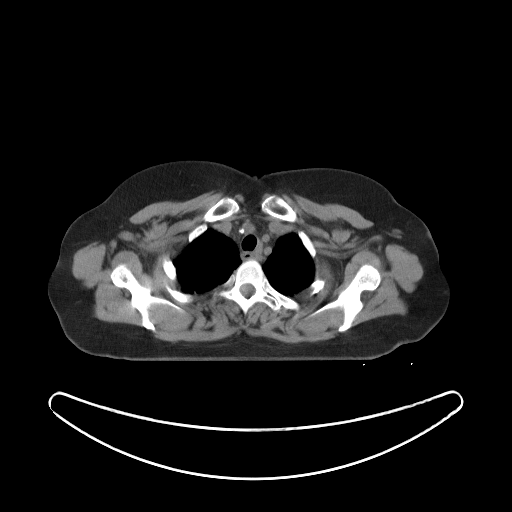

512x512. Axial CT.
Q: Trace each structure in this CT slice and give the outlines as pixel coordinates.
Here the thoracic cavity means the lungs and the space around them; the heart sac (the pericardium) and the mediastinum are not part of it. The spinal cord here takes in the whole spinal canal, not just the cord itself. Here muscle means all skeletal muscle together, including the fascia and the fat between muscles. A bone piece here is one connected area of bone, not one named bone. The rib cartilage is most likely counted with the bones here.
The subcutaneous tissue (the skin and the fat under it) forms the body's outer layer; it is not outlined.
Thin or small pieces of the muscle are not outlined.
A: Outlined structures:
muscle: (211, 190) (247, 199) (295, 193) (358, 211) (392, 243) (418, 256) (423, 275) (407, 296) (409, 311) (351, 327) (364, 305) (361, 294) (382, 280) (380, 270) (367, 262) (334, 299) (309, 315) (340, 309) (341, 333) (333, 338) (287, 343) (243, 331) (212, 341) (171, 342) (153, 336) (150, 308) (184, 309) (153, 295) (151, 282) (141, 283) (122, 262) (109, 278) (130, 293) (141, 326) (92, 316) (93, 297) (71, 271) (74, 253) (150, 203), around holes outlined by (224, 196) (239, 205) (239, 211) (225, 221) (253, 216) (281, 223) (297, 234) (302, 230) (310, 239) (315, 249) (314, 275) (325, 283) (312, 295) (307, 287) (296, 293) (292, 298) (300, 305) (298, 310) (282, 306) (275, 311) (256, 302) (244, 313) (231, 299) (214, 299) (212, 289) (193, 293) (192, 301) (187, 303) (176, 301) (165, 289) (164, 283) (177, 290) (181, 286) (177, 279) (173, 281) (166, 275) (163, 256) (172, 261) (188, 243) (189, 232) and by (272, 194) (276, 194) (280, 196) (286, 202) (287, 202) (295, 211) (296, 213) (296, 215) (297, 216) (297, 219) (294, 222) (289, 222) (288, 221) (284, 221) (283, 220) (281, 220) (280, 219) (275, 218) (266, 213) (264, 213) (261, 210) (261, 202) (266, 197)
left arm: (426, 225) (431, 233) (431, 235) (438, 250) (440, 268) (446, 277) (450, 287) (450, 297) (449, 298) (448, 307) (443, 317) (440, 320) (435, 314) (429, 303) (428, 298) (425, 293) (422, 284) (422, 281) (419, 272) (418, 254) (419, 253) (420, 245) (423, 237) (424, 228)
bones 1: (248, 259) (255, 259) (259, 262) (269, 283) (280, 293) (298, 302) (300, 308) (298, 310) (293, 310) (286, 309) (282, 306) (278, 311) (275, 311) (263, 302) (256, 302) (246, 313) (244, 313) (238, 304) (231, 299) (214, 299) (212, 294) (213, 289) (222, 284) (242, 262); inner edge: (244, 284) (250, 284) (254, 288) (254, 292) (251, 295) (250, 295) (249, 296) (248, 296) (247, 297) (246, 296) (245, 296) (240, 291) (240, 287) (242, 285) (243, 285)
bones 2: (367, 263) (379, 270) (381, 280) (374, 290) (364, 290) (360, 294) (360, 299) (363, 305) (362, 308) (355, 316) (352, 325) (348, 329) (342, 332) (338, 331) (338, 327) (343, 321) (343, 311) (338, 307) (330, 308) (310, 316) (311, 313) (334, 300) (352, 280) (359, 268)
bones 3: (122, 263) (127, 266) (141, 284) (150, 282) (152, 286) (150, 293) (153, 296) (171, 301) (184, 312) (176, 311) (164, 304) (154, 304) (149, 308) (149, 318) (155, 330) (151, 331) (143, 327) (141, 314) (130, 305) (131, 293) (126, 288) (114, 285) (110, 278) (111, 271)
bones 4: (224, 196) (228, 196) (234, 199) (239, 205) (239, 211) (237, 213) (233, 214) (224, 219) (217, 220) (213, 222) (209, 222) (207, 224) (208, 227) (200, 235) (196, 237) (192, 241) (188, 242) (188, 234) (189, 232) (197, 225) (203, 222) (203, 219) (202, 218) (206, 211)
bones 5: (272, 194) (276, 194) (280, 196) (286, 202) (287, 202) (295, 211) (296, 213) (296, 215) (297, 216) (297, 219) (294, 222) (289, 222) (288, 221) (284, 221) (283, 220) (281, 220) (280, 219) (275, 218) (266, 213) (264, 213) (261, 210) (261, 202) (266, 197)
bones 6: (164, 283) (166, 283) (171, 288) (173, 289) (180, 290) (184, 293) (188, 293) (189, 294) (192, 294) (193, 295) (193, 299) (192, 301) (190, 302) (188, 302) (187, 303) (181, 303) (180, 302) (178, 302) (176, 301) (165, 289) (165, 287) (164, 286)
bones 7: (164, 255) (167, 255) (169, 257) (169, 258) (172, 261) (172, 262) (173, 263) (173, 264) (175, 267) (175, 269) (176, 270) (176, 280) (175, 280) (174, 281) (171, 280) (166, 275) (166, 274) (165, 273) (165, 272) (163, 269) (163, 267) (162, 266) (162, 258)
bones 8: (299, 230) (302, 230) (308, 236) (308, 237) (310, 239) (311, 242) (313, 244) (313, 246) (315, 249) (315, 256) (314, 257) (314, 258) (313, 258) (310, 255) (310, 254) (308, 252) (308, 251) (303, 245) (303, 243) (302, 242) (300, 237) (298, 235) (298, 231)
bones 9: (315, 276) (316, 276) (321, 279) (323, 279) (325, 281) (325, 283) (324, 284) (324, 286) (322, 289) (321, 289) (318, 292) (317, 292) (312, 295) (310, 295) (309, 294) (309, 293) (310, 292) (310, 290) (308, 288) (308, 287) (310, 285) (310, 284) (313, 281)
thoracic cavity 1: (209, 227) (212, 228) (217, 232) (219, 232) (230, 238) (235, 243) (238, 249) (238, 253) (241, 262) (222, 283) (212, 289) (201, 293) (184, 292) (181, 290) (181, 286) (177, 279) (177, 270) (173, 262) (173, 260) (188, 243) (192, 242) (196, 238) (200, 236)
thoracic cavity 2: (290, 232) (294, 232) (297, 234) (302, 243) (302, 245) (313, 259) (313, 263) (314, 264) (314, 277) (312, 281) (305, 289) (303, 289) (296, 293) (293, 297) (286, 295) (277, 290) (270, 283) (262, 267) (262, 264) (266, 261) (268, 256) (272, 252) (277, 240) (281, 236)
torso: (184, 159) (217, 161) (255, 175) (304, 167) (335, 167) (375, 179) (425, 223) (417, 265) (424, 293) (439, 322) (420, 340) (402, 344) (369, 360) (132, 361) (92, 355) (78, 349) (60, 325) (75, 308) (84, 275) (83, 240) (76, 218) (102, 202) (133, 173) (158, 163)
spinal cord: (244, 284) (250, 284) (254, 288) (254, 292) (251, 295) (250, 295) (249, 296) (248, 296) (247, 297) (246, 296) (245, 296) (240, 291) (240, 287) (242, 285) (243, 285)
right arm: (75, 219) (77, 223) (78, 231) (82, 240) (83, 275) (82, 276) (82, 280) (81, 281) (78, 296) (74, 308) (67, 318) (60, 324) (58, 318) (49, 301) (47, 295) (46, 284) (47, 283) (48, 276) (56, 264) (56, 262) (58, 259) (60, 244) (62, 238) (69, 225)
mediastinum: (250, 216) (280, 224) (281, 223) (288, 230) (291, 231) (281, 235) (276, 240) (271, 252) (267, 256) (265, 261) (261, 264) (255, 258) (248, 258) (242, 261) (236, 243) (230, 237) (210, 227) (214, 222) (217, 221) (222, 220) (230, 221) (241, 218) (247, 218)